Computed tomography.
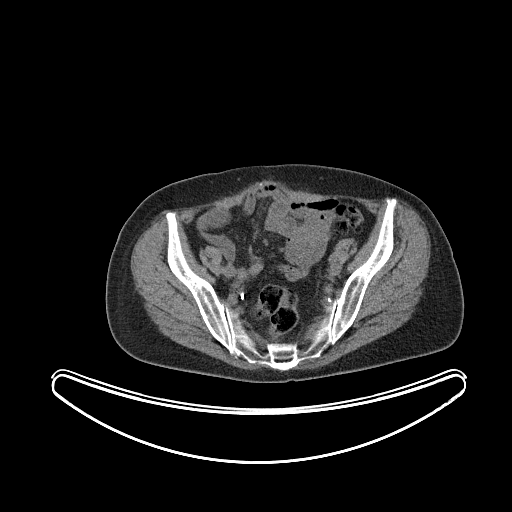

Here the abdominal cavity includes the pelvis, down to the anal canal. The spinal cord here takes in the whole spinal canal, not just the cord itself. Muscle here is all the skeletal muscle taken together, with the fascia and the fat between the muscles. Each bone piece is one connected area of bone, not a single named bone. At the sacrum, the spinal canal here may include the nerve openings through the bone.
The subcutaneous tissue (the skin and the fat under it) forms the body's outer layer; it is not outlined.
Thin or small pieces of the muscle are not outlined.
{"muscle":[[[269,178],[283,182],[294,190],[312,193],[344,194],[369,199],[392,197],[385,199],[386,205],[377,238],[370,254],[349,274],[347,273],[348,264],[367,241],[376,221],[376,214],[359,201],[343,197],[328,197],[318,200],[294,199],[275,183],[268,182],[263,183],[246,195],[238,204],[230,207],[205,207],[185,223],[183,228],[193,255],[214,278],[213,285],[189,265],[182,249],[176,213],[170,210],[164,214],[167,227],[166,262],[169,269],[192,295],[204,324],[215,340],[235,358],[240,356],[250,364],[264,365],[273,369],[264,367],[249,370],[181,345],[163,335],[147,315],[143,307],[143,300],[134,287],[130,258],[138,238],[162,210],[211,202],[235,194],[256,181]],[[394,197],[408,203],[419,214],[427,228],[431,243],[428,271],[421,284],[424,289],[415,311],[405,323],[395,330],[326,365],[312,369],[291,369],[301,361],[319,358],[328,346],[340,339],[353,324],[370,281],[388,261],[394,249],[394,216],[398,203]],[[244,320],[249,322],[253,326],[253,327],[257,331],[257,332],[261,336],[265,338],[268,341],[268,342],[267,342],[265,344],[265,349],[263,351],[262,351],[258,347],[256,342],[248,334],[242,322]],[[327,313],[328,313],[328,315],[327,316],[323,317],[321,319],[318,327],[311,335],[309,341],[307,343],[303,345],[299,345],[299,344],[297,342],[298,338],[299,338],[300,336],[303,336],[304,335],[308,327],[310,325],[311,325],[317,319],[318,317]]],"spinal_cord":[[[287,358],[288,359],[289,359],[289,360],[287,360],[286,361],[278,361],[277,360],[276,360],[277,360],[278,359],[286,359]]],"abdominal_cavity":[[[268,183],[275,184],[294,200],[349,199],[363,204],[375,214],[366,241],[347,264],[346,273],[349,275],[331,310],[318,316],[296,341],[269,341],[220,300],[213,286],[215,278],[194,255],[184,228],[201,210],[238,205],[246,196]]],"bones":[[[393,197],[397,201],[393,249],[369,281],[352,324],[319,357],[301,360],[287,370],[231,354],[211,334],[193,295],[167,262],[165,214],[174,212],[188,265],[238,313],[257,347],[263,352],[269,342],[303,346],[329,315],[347,278],[371,254],[386,199]]],"torso":[[[282,163],[319,164],[363,172],[400,186],[426,203],[450,243],[461,279],[464,318],[461,331],[452,345],[438,352],[365,370],[283,383],[253,383],[170,369],[137,360],[119,347],[107,322],[106,275],[118,233],[137,205],[158,188],[184,178],[241,166]]]}